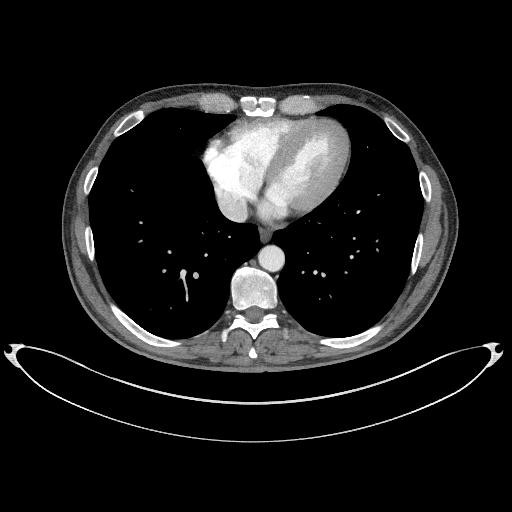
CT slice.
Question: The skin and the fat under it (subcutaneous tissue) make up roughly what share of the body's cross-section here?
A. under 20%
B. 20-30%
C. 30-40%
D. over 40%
Answer: A. under 20%
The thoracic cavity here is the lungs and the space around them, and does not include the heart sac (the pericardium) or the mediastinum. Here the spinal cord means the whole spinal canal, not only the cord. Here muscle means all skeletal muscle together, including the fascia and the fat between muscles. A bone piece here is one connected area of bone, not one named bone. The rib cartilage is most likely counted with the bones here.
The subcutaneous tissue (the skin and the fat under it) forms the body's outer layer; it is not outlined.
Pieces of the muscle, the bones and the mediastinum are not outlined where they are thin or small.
{"bones":[{"outer":[[222,341],[225,341],[228,332],[236,327],[245,329],[253,339],[255,339],[257,335],[265,328],[279,327],[277,315],[272,311],[279,303],[277,286],[275,280],[268,273],[246,264],[238,267],[234,271],[230,281],[230,303],[236,312],[231,324],[222,330]],"hole":[[250,322],[257,322],[259,320],[260,320],[261,319],[262,316],[264,314],[264,313],[265,312],[264,311],[264,310],[263,309],[262,309],[257,306],[252,306],[251,307],[246,309],[246,310],[245,311],[244,311],[244,314],[245,315],[247,320]]},[[248,116],[269,116],[277,109],[283,113],[302,115],[316,112],[321,108],[309,95],[292,95],[278,101],[273,96],[257,97],[251,95],[241,95],[237,100],[235,100],[225,94],[208,93],[197,99],[198,105],[203,111],[228,113],[239,107],[241,111]],[[162,347],[173,347],[174,346],[177,346],[181,343],[179,340],[167,339],[166,338],[155,335],[147,331],[136,323],[115,303],[113,302],[110,302],[109,303],[113,313],[118,320],[133,334],[143,341],[149,344],[155,345],[156,346],[161,346]],[[335,348],[351,347],[352,346],[355,346],[358,344],[360,344],[374,336],[383,327],[384,324],[383,323],[377,323],[373,326],[357,334],[355,334],[351,336],[347,336],[346,337],[324,337],[320,339],[319,342],[322,344],[324,344],[328,346],[331,346]],[[115,137],[126,132],[128,130],[129,130],[131,128],[132,128],[134,126],[138,124],[145,117],[144,112],[142,110],[140,109],[138,109],[137,110],[135,110],[134,111],[132,111],[130,112],[126,116],[125,116],[125,117],[114,130],[114,132],[113,134]],[[411,275],[415,273],[417,269],[420,258],[421,257],[421,254],[422,253],[422,247],[423,246],[423,234],[421,232],[419,232],[417,235],[417,237],[415,241],[415,244],[414,245],[414,248],[413,249],[413,253],[411,258],[411,265],[410,266],[410,274]],[[405,143],[407,143],[410,139],[408,134],[405,131],[404,131],[393,119],[392,119],[389,116],[387,116],[386,115],[385,116],[384,116],[383,117],[383,121],[385,123],[385,124],[388,128],[388,129],[394,136],[395,136],[398,139],[401,140]],[[426,202],[428,202],[431,199],[431,184],[430,183],[430,180],[429,179],[428,176],[426,174],[426,173],[423,170],[420,170],[418,173],[418,177],[419,178],[419,185],[420,186],[420,188],[421,189],[421,193],[423,196],[424,201],[425,201]],[[91,261],[94,260],[94,245],[93,244],[93,234],[92,233],[92,231],[91,230],[91,228],[90,226],[89,225],[87,225],[84,229],[84,237],[85,238],[85,245],[86,246],[86,250],[87,251],[87,254],[88,255],[88,257],[89,259]],[[86,195],[88,195],[92,187],[92,185],[95,180],[95,178],[97,175],[97,172],[98,171],[98,166],[96,165],[90,168],[90,169],[86,174],[86,176],[85,177],[85,180],[84,181],[84,184],[83,185],[83,190],[84,191],[84,193]]],"thoracic_cavity":[[[172,339],[198,334],[221,316],[229,301],[229,281],[233,271],[259,247],[255,224],[232,222],[221,214],[206,169],[193,152],[234,119],[231,114],[205,113],[188,108],[164,108],[149,114],[112,142],[88,196],[95,258],[105,286],[115,302],[141,326]],[[322,336],[357,333],[376,323],[391,307],[409,273],[423,207],[418,172],[407,145],[394,137],[380,118],[352,105],[335,105],[317,112],[336,117],[348,130],[352,154],[341,182],[321,204],[273,234],[274,242],[286,255],[277,281],[280,301],[303,327]]],"torso":[[[236,373],[316,368],[383,350],[408,332],[435,298],[457,241],[457,202],[449,178],[423,133],[385,97],[336,82],[271,86],[200,82],[162,86],[138,94],[114,110],[78,160],[64,194],[61,240],[72,287],[86,313],[105,334],[135,354],[176,366]]],"mediastinum":[[[276,281],[285,263],[285,255],[283,250],[273,242],[272,234],[275,230],[283,228],[290,223],[277,228],[272,228],[257,223],[253,223],[256,224],[259,232],[260,247],[258,251],[249,260],[244,262],[241,265],[246,263],[248,265],[258,267],[268,272]],[[201,158],[201,155],[202,154],[202,152],[203,151],[203,150],[204,149],[204,148],[205,147],[205,145],[207,143],[207,142],[208,141],[209,141],[209,140],[213,136],[213,135],[211,137],[210,137],[202,145],[201,145],[194,152],[195,153],[196,153]],[[339,183],[341,179],[343,177],[347,169],[347,167],[349,163],[349,160],[350,159],[350,155],[351,154],[351,144],[350,143],[350,139],[349,138],[350,140],[350,154],[349,155],[349,160],[348,161],[348,165],[342,177],[340,178],[340,181]]],"spinal_cord":[[[250,322],[257,322],[259,320],[260,320],[261,319],[262,316],[264,314],[264,313],[265,312],[264,311],[264,310],[263,309],[262,309],[257,306],[252,306],[251,307],[246,309],[246,310],[245,311],[244,311],[244,314],[245,315],[247,320]]],"pericardium":[[[272,227],[283,225],[307,213],[321,203],[337,186],[339,178],[346,168],[349,154],[347,130],[337,120],[327,117],[294,116],[279,113],[269,117],[245,116],[234,120],[227,128],[214,135],[206,145],[202,160],[208,170],[222,212],[231,219],[257,222]]],"muscle":[{"outer":[[240,367],[282,364],[305,357],[337,356],[364,349],[390,335],[431,288],[440,269],[447,240],[444,190],[412,135],[393,115],[343,95],[310,95],[322,109],[335,104],[352,104],[368,109],[382,119],[384,115],[389,115],[409,134],[411,139],[407,144],[417,169],[423,169],[432,184],[432,199],[424,202],[419,226],[419,231],[424,234],[424,246],[416,273],[409,274],[403,291],[378,322],[383,322],[384,327],[366,342],[343,349],[320,344],[318,341],[323,337],[303,328],[280,302],[273,310],[278,315],[280,327],[263,330],[255,340],[245,330],[236,328],[229,332],[225,342],[221,341],[221,330],[230,324],[235,312],[229,302],[222,316],[209,329],[181,339],[182,343],[177,347],[152,346],[133,335],[112,313],[108,303],[114,301],[103,284],[95,259],[91,262],[87,257],[83,229],[89,224],[89,213],[87,196],[82,190],[85,174],[90,167],[100,164],[114,139],[113,130],[129,112],[111,126],[98,144],[78,180],[70,226],[73,267],[85,297],[110,329],[138,347],[172,358],[204,357],[212,362]],"hole":[[252,358],[255,358],[256,357],[257,357],[257,354],[256,353],[256,352],[255,351],[255,349],[254,348],[254,347],[251,347],[250,348],[250,349],[249,350],[249,351],[248,352],[248,354],[249,355],[249,356],[250,357],[251,357]]},[[146,115],[157,109],[164,107],[188,107],[201,110],[197,105],[196,99],[200,95],[208,92],[225,93],[235,99],[237,99],[240,95],[237,94],[233,96],[227,92],[222,91],[196,91],[163,98],[155,101],[148,101],[143,103],[138,108],[142,109]]]}